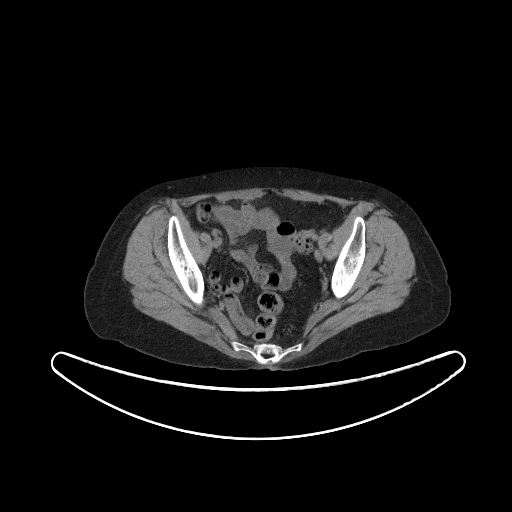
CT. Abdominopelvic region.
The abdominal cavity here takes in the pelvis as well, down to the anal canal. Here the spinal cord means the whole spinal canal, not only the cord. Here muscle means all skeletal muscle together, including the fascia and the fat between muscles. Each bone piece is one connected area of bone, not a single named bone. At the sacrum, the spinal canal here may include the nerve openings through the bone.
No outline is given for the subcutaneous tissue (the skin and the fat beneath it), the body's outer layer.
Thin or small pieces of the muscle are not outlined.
The muscle is outlined by 256,187 299,189 379,202 392,214 409,241 415,258 414,288 392,311 344,329 303,356 277,363 289,353 302,349 303,343 298,339 305,323 330,293 340,299 352,288 366,256 366,223 362,216 354,217 351,231 333,263 324,256 318,240 339,226 351,208 328,199 302,201 268,191 254,199 207,197 182,207 194,230 211,235 211,251 201,268 187,244 179,218 171,214 166,230 168,258 182,290 197,306 203,304 205,294 226,316 237,335 251,344 231,340 232,348 249,353 257,363 231,357 141,312 133,305 121,276 128,239 149,206 163,197 181,198. The spinal cord is outlined by 264,354 265,354 266,354 267,354 268,354 269,355 270,355 269,356 268,357 267,357 266,357 265,357 264,357 263,356 263,355. The torso is outlined by 246,165 290,165 321,170 377,184 402,198 421,219 446,266 451,305 445,321 405,343 295,370 222,370 182,365 142,353 118,341 98,337 91,330 84,313 83,290 100,243 120,210 138,193 155,184. The abdominal cavity is outlined by 268,192 295,201 328,200 350,208 339,225 322,233 317,240 323,256 333,264 331,293 308,317 297,342 288,346 272,342 252,345 245,341 206,295 201,269 212,251 212,235 194,229 183,209 202,199 248,201. The bones appear in 3 outlined pieces: piece 1: 171,215 174,215 178,218 181,231 183,234 183,237 186,242 186,244 196,263 201,270 204,282 204,296 203,297 203,302 201,305 195,304 183,290 183,288 170,261 167,248 167,230 168,229 168,220; piece 2: 356,216 360,216 362,217 365,223 365,256 361,268 351,288 347,294 340,298 337,298 333,294 331,290 331,287 330,286 331,284 331,276 334,268 334,264 338,257 340,250 346,240 349,237 352,231 353,222; piece 3: 231,341 238,341 248,346 252,346 254,344 272,343 280,345 284,348 291,346 296,343 302,343 302,347 299,351 289,352 276,363 268,362 261,364 258,363 256,359 249,352 244,350 236,351 233,348.